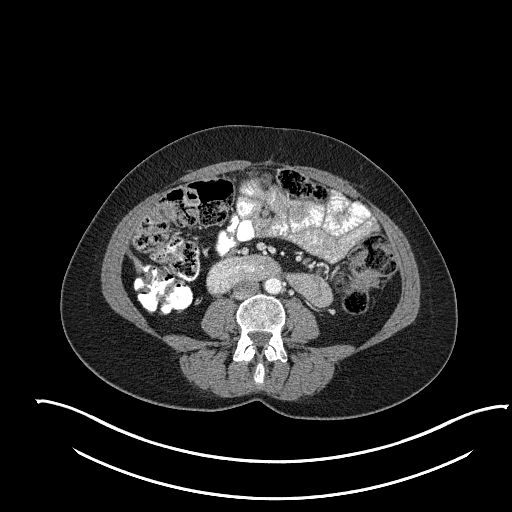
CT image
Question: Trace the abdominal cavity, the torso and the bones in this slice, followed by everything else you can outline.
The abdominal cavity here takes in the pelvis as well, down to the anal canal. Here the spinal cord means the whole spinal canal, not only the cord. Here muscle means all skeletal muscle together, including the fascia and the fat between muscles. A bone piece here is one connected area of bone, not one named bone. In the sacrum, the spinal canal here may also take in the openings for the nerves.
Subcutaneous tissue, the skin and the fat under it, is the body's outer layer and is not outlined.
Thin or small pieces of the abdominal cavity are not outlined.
Answer: {"abdominal_cavity":[[[315,346],[361,344],[399,299],[401,281],[392,247],[366,206],[289,168],[257,166],[172,189],[137,225],[124,255],[122,279],[159,333],[211,339],[199,323],[212,301],[229,297],[237,307],[261,292],[282,302],[299,299],[318,322],[320,334],[308,343]]],"torso":[[[311,420],[348,419],[382,411],[410,398],[437,376],[457,332],[455,289],[444,258],[399,185],[339,139],[297,128],[246,124],[213,126],[182,136],[133,167],[81,236],[61,285],[65,336],[94,374],[144,401],[194,411],[219,411],[260,401],[285,416]]],"bones":[{"outer":[[257,384],[262,384],[264,379],[263,357],[268,361],[279,359],[285,362],[287,360],[281,335],[285,323],[285,310],[277,298],[261,293],[244,300],[236,310],[235,317],[240,333],[233,353],[235,361],[244,360],[247,362],[256,356],[258,358],[253,377]],"hole":[[257,346],[261,346],[262,345],[263,345],[265,343],[266,343],[267,342],[267,341],[268,340],[268,339],[270,336],[270,333],[268,333],[267,332],[252,332],[251,333],[250,333],[249,334],[249,335],[250,336],[251,339],[254,342],[254,344],[255,344]]}],"spinal_cord":[[[257,346],[261,346],[262,345],[263,345],[265,343],[266,343],[267,342],[267,341],[268,340],[268,339],[270,336],[270,333],[268,333],[267,332],[252,332],[251,333],[250,333],[249,334],[249,335],[250,336],[251,339],[254,342],[254,344],[255,344]]],"muscle":[{"outer":[[289,401],[297,400],[302,397],[305,398],[308,396],[312,396],[319,392],[324,388],[330,381],[334,374],[335,369],[341,360],[361,350],[366,349],[377,343],[383,341],[393,335],[397,331],[409,325],[414,321],[417,316],[419,306],[420,305],[420,280],[419,279],[418,268],[413,252],[410,247],[408,240],[404,235],[403,232],[388,215],[360,193],[354,187],[353,184],[349,181],[330,172],[312,166],[298,165],[297,164],[291,165],[285,162],[279,162],[278,161],[258,161],[257,162],[253,162],[248,160],[229,160],[228,161],[218,162],[204,166],[179,177],[169,184],[166,185],[165,187],[161,190],[151,194],[129,210],[117,224],[107,245],[106,251],[104,254],[104,257],[102,262],[102,266],[101,267],[100,279],[101,280],[101,289],[103,296],[110,307],[115,312],[125,319],[133,323],[138,328],[171,347],[176,355],[176,358],[178,359],[179,366],[183,375],[189,383],[200,390],[209,392],[221,397],[236,397],[237,396],[245,395],[252,392],[260,392],[263,391],[274,398],[280,400],[288,400]],"hole":[[257,384],[263,357],[287,360],[284,299],[315,315],[320,334],[308,344],[359,345],[390,316],[401,287],[390,242],[366,206],[271,165],[168,191],[137,225],[122,263],[128,295],[161,334],[211,339],[203,313],[231,298],[240,328],[233,359],[258,358]]}]}